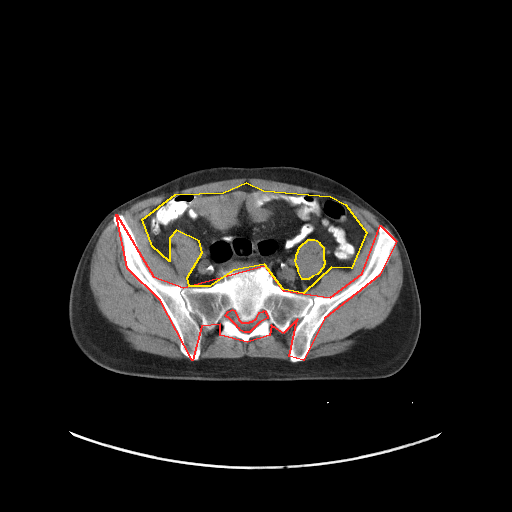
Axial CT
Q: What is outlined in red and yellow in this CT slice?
A: red: bones; yellow: abdominal cavity.
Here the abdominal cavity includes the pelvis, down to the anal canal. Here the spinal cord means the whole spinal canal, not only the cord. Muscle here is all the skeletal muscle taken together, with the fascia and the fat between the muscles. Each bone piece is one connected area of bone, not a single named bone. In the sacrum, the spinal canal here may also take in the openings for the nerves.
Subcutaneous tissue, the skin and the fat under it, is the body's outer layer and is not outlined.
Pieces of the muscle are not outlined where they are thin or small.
The bones are outlined by (116, 214) (153, 276) (183, 287) (264, 265) (283, 290) (330, 297) (362, 273) (380, 225) (396, 241) (379, 275) (324, 318) (303, 360) (289, 356) (297, 319) (283, 333) (271, 325) (269, 335) (247, 342) (220, 335) (220, 324) (201, 326) (192, 360) (160, 300) (127, 268), around a hole outlined by (232, 309) (234, 310) (238, 319) (241, 322) (249, 322) (250, 321) (252, 321) (256, 318) (259, 312) (263, 311) (264, 310) (267, 315) (267, 318) (259, 322) (249, 332) (244, 332) (240, 330) (239, 328) (237, 327) (237, 326) (228, 317) (227, 317) (225, 315) (228, 311). The abdominal cavity is outlined by (246, 182) (263, 190) (330, 196) (345, 204) (366, 232) (351, 268) (331, 267) (303, 293) (283, 289) (264, 264) (233, 270) (209, 286) (189, 286) (187, 277) (202, 252) (199, 241) (176, 230) (169, 238) (169, 261) (152, 246) (142, 219) (175, 194) (223, 192); inner edge: (308, 239) (314, 239) (316, 240) (319, 242) (319, 243) (323, 247) (323, 259) (324, 260) (324, 264) (323, 265) (323, 267) (317, 274) (312, 276) (308, 279) (302, 279) (298, 271) (298, 268) (296, 265) (295, 259) (296, 258) (296, 254) (298, 251) (298, 249) (300, 246). The spinal cord is outlined by (232, 309) (234, 310) (238, 319) (241, 322) (249, 322) (250, 321) (252, 321) (256, 318) (259, 312) (263, 311) (264, 310) (267, 315) (267, 318) (259, 322) (249, 332) (244, 332) (240, 330) (239, 328) (237, 327) (237, 326) (228, 317) (227, 317) (225, 315) (228, 311). The torso is outlined by (279, 165) (311, 170) (345, 185) (385, 216) (398, 231) (408, 253) (421, 304) (418, 340) (410, 358) (399, 371) (377, 379) (265, 381) (156, 379) (108, 370) (91, 361) (80, 351) (71, 335) (68, 322) (70, 286) (86, 243) (101, 220) (112, 209) (193, 170) (214, 166). The muscle appears in 5 outlined pieces: piece 1: (237, 178) (266, 179) (325, 191) (375, 215) (382, 224) (377, 228) (375, 243) (361, 273) (336, 294) (312, 297) (304, 294) (331, 268) (344, 271) (352, 268) (365, 241) (366, 230) (350, 208) (336, 197) (263, 189) (246, 181) (223, 191) (175, 193) (155, 205) (141, 219) (151, 238) (151, 246) (169, 262) (170, 238) (176, 231) (191, 235) (201, 246) (200, 255) (186, 277) (188, 286) (160, 281) (144, 263) (125, 216) (117, 213) (138, 201) (175, 189); piece 2: (111, 219) (112, 223) (116, 227) (121, 237) (123, 247) (122, 254) (126, 268) (141, 285) (159, 300) (177, 332) (179, 338) (179, 350) (187, 358) (170, 358) (132, 348) (124, 340) (116, 327) (108, 321) (98, 310) (89, 285) (90, 262) (96, 243) (102, 231); piece 3: (396, 242) (397, 242) (402, 263) (403, 281) (398, 298) (388, 316) (375, 327) (371, 329) (362, 329) (358, 331) (355, 334) (355, 342) (347, 350) (332, 355) (304, 360) (311, 349) (312, 338) (325, 318) (337, 306) (369, 286) (380, 275) (390, 260) (391, 253) (396, 245); piece 4: (297, 320) (289, 338) (289, 360) (269, 357) (251, 357) (246, 355) (237, 358) (199, 359) (203, 336) (201, 327) (207, 331) (211, 331) (220, 325) (220, 336) (235, 337) (247, 343) (252, 338) (257, 336) (269, 336) (271, 326) (283, 334) (287, 332) (291, 324); piece 5: (308, 239) (314, 239) (316, 240) (319, 242) (319, 243) (323, 247) (323, 259) (324, 260) (324, 264) (323, 265) (323, 267) (317, 274) (312, 276) (308, 279) (302, 279) (298, 271) (298, 268) (296, 265) (295, 259) (296, 258) (296, 254) (298, 251) (298, 249) (300, 246).